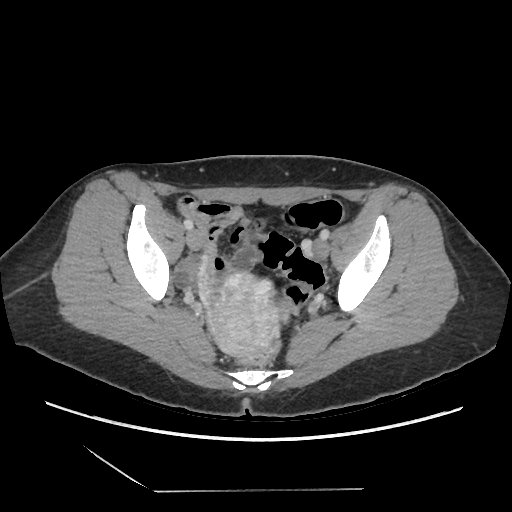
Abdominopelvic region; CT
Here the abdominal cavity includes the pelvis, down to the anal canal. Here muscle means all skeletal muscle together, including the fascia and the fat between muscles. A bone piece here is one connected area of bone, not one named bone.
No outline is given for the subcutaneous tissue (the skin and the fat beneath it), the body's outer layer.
{"bones":[[[381,214],[383,214],[386,217],[391,239],[390,241],[390,252],[389,253],[388,261],[376,282],[364,297],[362,301],[352,310],[350,311],[343,311],[340,309],[337,302],[337,289],[340,276],[344,268],[365,245],[370,238],[374,228],[375,221],[377,217]],[[139,203],[141,203],[145,206],[145,217],[144,219],[147,230],[152,238],[165,254],[169,265],[169,281],[167,289],[165,295],[160,300],[155,300],[143,288],[137,280],[133,272],[127,255],[126,239],[131,219],[131,213],[133,207],[136,204]],[[251,369],[292,369],[293,373],[286,377],[274,380],[269,387],[263,391],[258,391],[255,386],[247,386],[245,389],[240,390],[233,386],[232,384],[233,378],[231,376],[224,373],[224,371],[234,371],[236,372],[237,371],[243,371]]],"muscle":[{"outer":[[120,171],[188,188],[299,185],[355,189],[384,183],[410,186],[426,198],[439,220],[445,250],[456,272],[459,298],[440,330],[431,337],[355,360],[308,385],[265,393],[196,385],[138,351],[75,328],[60,315],[50,271],[64,244],[72,207],[88,182]],"hole":[[180,192],[236,204],[261,200],[272,206],[340,196],[360,209],[329,236],[336,271],[341,274],[365,245],[381,214],[389,227],[389,258],[356,307],[313,317],[295,329],[282,367],[292,369],[292,374],[263,391],[255,386],[240,390],[224,373],[229,370],[219,364],[201,325],[175,303],[172,279],[163,298],[155,300],[137,280],[128,259],[131,213],[141,203],[148,232],[169,267],[175,264],[184,248],[184,229],[162,199]]}],"abdominal_cavity":[[[180,192],[236,204],[261,200],[272,206],[332,195],[359,205],[355,217],[329,236],[331,263],[340,274],[336,289],[339,308],[295,329],[282,368],[235,371],[222,367],[201,325],[188,309],[175,303],[170,268],[182,253],[185,237],[182,224],[162,199]]],"torso":[[[229,154],[311,154],[345,158],[399,173],[430,189],[508,276],[507,303],[495,347],[453,371],[366,403],[291,417],[254,416],[248,410],[233,417],[154,402],[54,361],[29,347],[17,345],[4,303],[0,255],[65,188],[87,173],[111,164],[173,162]]]}